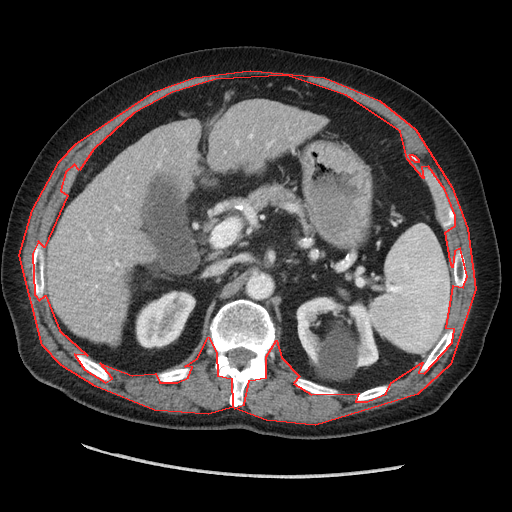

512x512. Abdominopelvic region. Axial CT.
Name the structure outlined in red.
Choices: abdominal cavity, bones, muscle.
red: muscle.
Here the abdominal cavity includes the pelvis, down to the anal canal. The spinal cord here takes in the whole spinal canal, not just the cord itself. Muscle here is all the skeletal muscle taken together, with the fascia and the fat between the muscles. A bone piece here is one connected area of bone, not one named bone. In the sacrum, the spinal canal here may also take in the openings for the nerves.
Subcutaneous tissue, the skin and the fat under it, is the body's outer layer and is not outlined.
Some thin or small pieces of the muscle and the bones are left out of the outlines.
The muscle is outlined by [[250,70],[324,77],[379,100],[415,129],[451,186],[467,228],[475,289],[450,364],[417,394],[315,425],[266,420],[234,408],[244,404],[249,380],[266,377],[266,356],[276,340],[281,357],[299,376],[293,383],[311,394],[358,393],[355,401],[367,401],[386,393],[391,382],[422,362],[418,372],[424,373],[452,342],[454,329],[446,328],[453,285],[463,287],[467,276],[460,248],[454,251],[452,267],[450,260],[445,232],[455,225],[455,215],[445,190],[428,166],[421,167],[423,178],[407,159],[400,131],[346,95],[286,75],[215,79],[172,92],[133,113],[93,149],[79,170],[74,164],[65,172],[60,190],[67,195],[44,247],[38,241],[32,253],[34,294],[39,300],[45,295],[59,330],[87,355],[74,354],[84,369],[105,382],[112,378],[100,363],[132,375],[155,373],[159,382],[177,382],[188,377],[192,367],[185,366],[197,358],[208,337],[216,352],[217,375],[231,378],[232,407],[208,414],[154,410],[95,386],[61,365],[42,345],[19,255],[32,210],[59,161],[76,143],[154,91],[194,77]]; inner edge: [[410,154],[411,154],[412,154],[413,155],[414,155],[415,156],[416,157],[417,158],[418,159],[418,160],[418,161],[418,162],[417,162],[416,162],[415,162],[414,161],[413,160],[412,160],[411,159],[411,158],[410,157],[410,156],[409,155]]. The abdominal cavity is outlined by [[251,75],[292,77],[337,92],[386,118],[403,137],[406,159],[432,196],[453,278],[445,330],[404,377],[352,393],[301,377],[280,353],[270,312],[247,298],[219,307],[194,360],[149,374],[97,362],[52,317],[44,293],[44,248],[94,149],[161,98]]. The bones appear in 10 outlined pieces: piece 1: [[236,299],[247,299],[263,306],[274,323],[276,339],[273,347],[265,356],[265,377],[260,380],[249,379],[243,390],[243,404],[233,407],[229,403],[229,397],[233,391],[233,381],[229,375],[219,376],[214,367],[217,352],[209,338],[209,326],[220,307]], around a hole outlined by [[239,347],[243,347],[250,351],[252,351],[255,354],[255,356],[251,358],[248,361],[248,364],[247,365],[243,367],[241,367],[240,368],[232,364],[230,362],[229,360],[229,358],[227,355],[227,352],[228,351],[232,349],[234,349],[235,348],[238,348]]; piece 2: [[423,166],[428,167],[438,178],[444,190],[444,192],[449,203],[449,205],[453,212],[453,214],[454,215],[454,225],[447,231],[445,231],[444,230],[438,219],[438,214],[437,213],[436,205],[435,204],[433,196],[424,178],[424,175],[422,172],[422,167]]; piece 3: [[38,242],[40,242],[43,244],[43,250],[44,251],[43,254],[44,255],[44,266],[43,267],[44,289],[43,290],[43,294],[41,298],[39,299],[35,294],[34,288],[33,287],[33,281],[32,280],[32,260],[33,259],[33,253],[34,252],[35,245]]; piece 4: [[451,328],[453,329],[453,334],[452,335],[452,339],[451,340],[451,342],[448,348],[445,351],[445,352],[442,354],[439,359],[432,366],[431,366],[424,372],[419,372],[419,370],[421,366],[423,364],[424,361],[427,358],[428,355],[432,351],[445,331]]; piece 5: [[296,377],[300,377],[301,378],[309,380],[312,382],[314,382],[324,386],[327,386],[328,387],[334,388],[338,390],[340,393],[337,395],[324,395],[323,394],[316,394],[315,393],[311,393],[308,391],[301,389],[296,386],[293,381],[293,379]]; piece 6: [[76,353],[81,353],[89,357],[91,359],[92,359],[94,361],[98,363],[108,373],[109,376],[111,378],[111,380],[110,381],[105,381],[101,379],[99,377],[94,375],[92,373],[88,371],[85,368],[84,368],[75,358],[75,354]]; piece 7: [[457,249],[460,249],[463,254],[463,256],[464,257],[464,260],[465,261],[465,267],[466,268],[466,276],[465,277],[465,282],[463,286],[461,287],[458,287],[455,284],[455,282],[454,281],[454,278],[453,277],[453,259],[454,258],[455,251]]; piece 8: [[184,367],[191,367],[191,371],[188,374],[187,377],[183,379],[181,379],[177,381],[173,381],[172,382],[164,382],[163,381],[159,381],[155,378],[155,375],[156,373],[158,372],[161,372],[164,370],[167,370],[168,369],[173,369],[174,368],[183,368]]; piece 9: [[383,384],[389,384],[390,385],[390,387],[386,392],[383,393],[381,395],[377,396],[374,398],[368,399],[367,400],[362,400],[361,401],[357,401],[355,400],[355,397],[359,393],[365,390],[367,390],[370,388],[372,388],[379,385],[382,385]]; piece 10: [[74,165],[77,165],[78,166],[78,170],[75,174],[75,177],[72,182],[72,184],[71,186],[69,188],[69,190],[67,192],[65,192],[61,190],[61,187],[62,186],[61,184],[61,181],[64,177],[66,172],[69,169],[70,169],[72,167],[72,166]]. The spinal cord is outlined by [[239,347],[243,347],[250,351],[252,351],[255,354],[255,356],[251,358],[248,361],[248,364],[247,365],[243,367],[241,367],[240,368],[232,364],[230,362],[229,360],[229,358],[227,355],[227,352],[228,351],[232,349],[234,349],[235,348],[238,348]]. The torso is outlined by [[236,45],[280,48],[381,72],[428,100],[471,150],[496,234],[501,291],[476,365],[435,412],[369,432],[321,439],[286,438],[241,428],[173,429],[92,409],[38,381],[24,365],[3,296],[0,266],[15,195],[39,151],[84,101],[115,80],[176,54]].